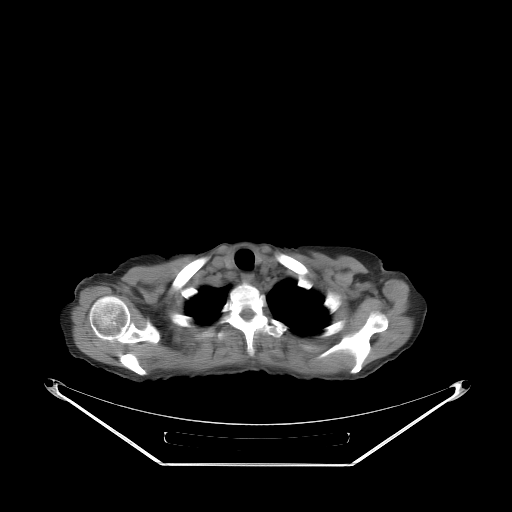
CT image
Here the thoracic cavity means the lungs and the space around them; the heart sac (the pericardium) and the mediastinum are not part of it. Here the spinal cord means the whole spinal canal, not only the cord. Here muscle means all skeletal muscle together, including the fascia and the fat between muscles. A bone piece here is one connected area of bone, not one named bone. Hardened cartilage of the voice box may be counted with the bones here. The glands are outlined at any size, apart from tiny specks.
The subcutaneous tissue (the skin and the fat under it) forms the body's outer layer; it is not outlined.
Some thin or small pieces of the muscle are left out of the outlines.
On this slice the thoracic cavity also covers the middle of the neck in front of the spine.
{"right_arm":[[[96,272],[112,272],[116,274],[130,288],[135,303],[135,320],[133,328],[128,338],[120,348],[106,361],[95,367],[83,359],[76,358],[69,353],[65,345],[63,335],[58,322],[58,314],[61,307],[73,298],[74,289],[76,285],[84,277],[89,276]]],"spinal_cord":[[[244,309],[250,309],[253,312],[253,316],[249,320],[245,320],[240,315],[240,313]]],"torso":[[[240,239],[282,246],[346,245],[373,252],[386,269],[392,312],[415,342],[396,359],[353,381],[304,381],[290,376],[272,376],[263,371],[246,371],[135,382],[96,367],[121,348],[136,320],[133,292],[112,271],[120,263],[139,254],[167,256],[199,252]]],"muscle":[{"outer":[[238,244],[300,253],[311,250],[333,258],[348,255],[369,270],[367,277],[376,284],[392,277],[402,279],[409,287],[415,321],[411,335],[396,350],[362,368],[371,351],[371,337],[389,325],[383,312],[371,311],[359,329],[318,355],[343,351],[353,357],[349,373],[335,374],[307,375],[246,363],[147,375],[131,351],[119,358],[126,368],[90,357],[74,343],[69,324],[71,309],[85,285],[114,283],[137,265],[199,256]],"holes":[[[240,247],[251,248],[268,266],[296,281],[298,274],[275,255],[284,253],[301,262],[312,289],[324,299],[328,292],[340,296],[329,323],[343,319],[342,329],[328,336],[320,332],[301,335],[290,329],[280,337],[257,332],[250,356],[244,334],[227,322],[194,320],[188,327],[172,322],[170,314],[184,314],[188,300],[171,289],[178,272],[206,256],[207,261],[184,285],[199,289],[208,275],[224,267],[223,258]],[[106,295],[116,296],[125,303],[130,314],[130,320],[137,328],[144,328],[147,321],[149,320],[159,332],[160,338],[158,342],[152,343],[148,341],[140,341],[135,343],[121,343],[117,341],[111,342],[97,337],[91,328],[88,314],[92,304],[98,298]],[[208,330],[211,330],[215,333],[219,331],[222,331],[224,332],[224,336],[221,339],[220,339],[216,335],[212,335],[211,336],[204,336],[203,337],[200,337],[199,336],[200,334]]]}],"thoracic_cavity":[[[240,247],[254,250],[258,264],[262,261],[295,280],[299,287],[317,291],[324,299],[329,324],[321,332],[295,333],[271,315],[266,295],[246,281],[229,290],[217,319],[198,323],[186,314],[187,301],[198,292],[204,279],[224,264],[232,266],[228,254]]],"bones":[{"outer":[[242,282],[255,286],[263,293],[266,298],[269,314],[288,327],[288,330],[280,337],[257,332],[253,339],[254,354],[252,356],[247,352],[245,337],[240,330],[227,322],[221,324],[218,323],[218,318],[221,313],[220,310],[227,300],[230,290]],"hole":[[244,309],[250,309],[253,312],[253,316],[249,320],[245,320],[240,315],[240,313]]},[[106,295],[116,296],[125,303],[130,314],[130,320],[137,328],[144,328],[147,321],[149,320],[159,332],[160,338],[158,342],[152,343],[148,341],[140,341],[135,343],[121,343],[117,341],[111,342],[97,337],[91,328],[88,314],[92,304],[98,298]],[[371,312],[383,313],[387,317],[388,325],[385,330],[376,332],[370,337],[370,351],[364,359],[362,367],[358,372],[350,373],[350,370],[355,363],[355,359],[346,351],[339,350],[326,356],[319,357],[321,353],[338,343],[343,336],[352,334],[359,330]],[[203,256],[206,256],[208,258],[207,261],[184,285],[184,287],[185,288],[187,287],[193,287],[197,289],[197,292],[188,299],[186,299],[181,294],[179,290],[172,290],[171,289],[172,282],[174,280],[178,272],[185,265],[189,262],[199,257],[202,257]],[[278,253],[284,253],[293,257],[298,261],[301,262],[307,268],[308,273],[305,276],[310,281],[311,281],[312,283],[311,288],[306,289],[303,287],[299,286],[297,284],[297,281],[298,280],[298,274],[291,269],[281,264],[276,259],[275,255]],[[128,352],[131,352],[136,356],[140,365],[146,371],[146,372],[147,373],[146,374],[146,375],[140,375],[139,374],[128,369],[126,367],[123,366],[121,364],[121,363],[120,362],[120,358],[121,357],[121,355],[122,355],[125,353],[127,353]],[[328,292],[332,292],[333,293],[338,294],[340,296],[340,299],[341,300],[341,303],[340,304],[340,305],[337,308],[337,309],[334,312],[333,312],[330,314],[329,313],[328,310],[324,306],[324,305],[323,304],[323,303],[324,302],[324,300],[325,299]],[[172,312],[176,312],[177,313],[179,313],[180,314],[185,314],[186,315],[191,316],[194,320],[192,322],[192,323],[191,324],[191,326],[189,326],[188,327],[187,327],[186,326],[180,326],[179,325],[172,322],[171,321],[171,319],[170,318],[170,314]],[[342,319],[345,320],[345,323],[344,324],[344,326],[341,330],[340,330],[336,333],[334,333],[328,336],[321,336],[320,335],[323,331],[324,328],[327,325],[329,325],[331,323],[336,322]],[[208,330],[211,330],[215,333],[219,331],[222,331],[224,332],[224,336],[221,339],[220,339],[216,335],[212,335],[211,336],[204,336],[203,337],[200,337],[199,336],[200,334]]],"thyroid_glands":[[[226,255],[229,255],[229,256],[231,258],[231,261],[232,262],[232,265],[231,265],[230,266],[227,266],[225,264],[225,263],[223,261],[223,258]],[[258,255],[259,255],[260,256],[261,256],[261,257],[262,258],[262,259],[261,260],[261,261],[260,262],[259,262],[258,263],[257,262],[257,261],[257,260],[257,259],[257,258],[258,257],[258,256]]],"left_arm":[[[387,269],[388,270],[389,269],[399,269],[403,271],[411,280],[413,285],[420,292],[421,292],[426,298],[426,300],[427,301],[427,311],[426,312],[423,327],[417,339],[404,328],[396,318],[393,312],[390,298],[389,297],[388,287],[387,286]]]}